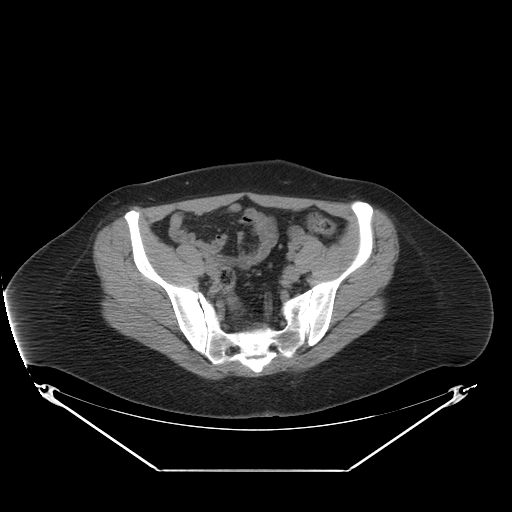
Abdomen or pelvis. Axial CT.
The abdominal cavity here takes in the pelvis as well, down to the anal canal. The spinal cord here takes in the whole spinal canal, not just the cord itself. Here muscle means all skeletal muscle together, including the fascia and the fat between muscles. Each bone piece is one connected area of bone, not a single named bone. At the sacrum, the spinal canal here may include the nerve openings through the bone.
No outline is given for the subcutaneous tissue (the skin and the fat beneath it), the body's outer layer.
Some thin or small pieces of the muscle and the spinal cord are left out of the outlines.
spinal cord: 282,318 283,318 283,319 284,320 284,324 281,327 280,327 279,328 274,328 273,327 272,327 272,326 273,325 273,324 274,323 275,323 276,322 276,321 277,321 278,320 279,320 280,319 281,319
abdominal cavity: 243,197 264,207 315,206 346,224 335,242 326,245 312,238 295,253 294,265 310,287 281,304 281,318 271,327 235,331 221,322 198,289 197,280 205,274 202,253 189,244 163,242 151,225 177,209 200,214
torso: 267,158 284,158 333,175 379,183 458,241 480,266 492,294 492,333 486,348 474,361 458,367 437,367 380,392 321,411 245,419 165,411 122,399 57,369 28,365 12,327 5,287 37,249 117,187 208,165
bones: 355,200 373,209 369,257 339,284 322,338 291,357 274,357 259,372 237,360 213,364 192,347 165,289 137,268 124,218 129,210 139,212 152,267 167,282 200,291 226,332 279,329 285,301 338,277 356,255, around holes outlined by 234,347 237,348 237,349 238,350 238,352 237,353 237,354 236,354 235,355 232,355 231,356 228,355 228,354 227,353 228,350 229,349 230,349 231,348 233,348 and by 272,345 273,345 274,346 275,346 275,347 276,348 276,349 276,350 275,351 275,352 274,352 273,353 272,353 271,352 270,352 270,351 269,350 269,349 269,348 270,347 270,346 271,346
muscle: 241,191 354,200 350,208 357,222 358,245 338,276 310,286 306,274 299,273 294,256 312,239 326,246 335,243 346,227 344,218 315,205 300,209 264,206 247,196 200,213 177,208 153,222 150,229 173,248 185,244 201,253 204,274 193,289 169,282 156,271 140,233 141,214 127,210 123,218 136,268 164,289 178,328 191,347 213,365 237,361 259,373 274,358 291,358 303,345 319,342 330,327 340,284 372,253 371,204 384,210 395,225 400,248 393,276 384,289 385,315 306,371 207,379 118,332 101,315 103,293 92,251 107,218 128,205 147,207